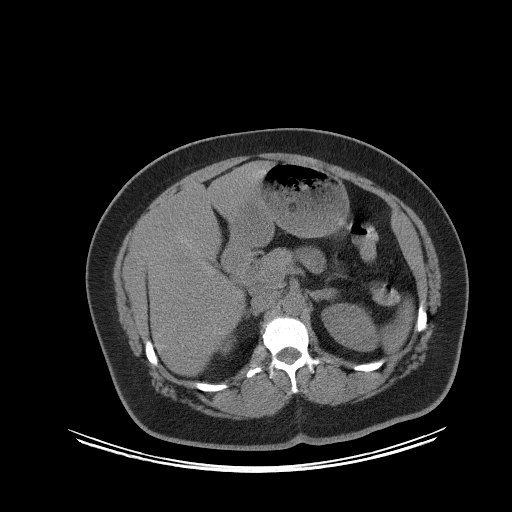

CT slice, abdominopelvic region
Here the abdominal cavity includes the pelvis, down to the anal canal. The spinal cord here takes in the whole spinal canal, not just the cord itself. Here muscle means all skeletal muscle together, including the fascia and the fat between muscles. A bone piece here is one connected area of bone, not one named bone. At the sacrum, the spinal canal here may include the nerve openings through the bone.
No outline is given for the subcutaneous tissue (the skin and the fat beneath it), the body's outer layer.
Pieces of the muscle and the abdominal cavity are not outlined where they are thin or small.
Outlined structures:
muscle: 266 152; 284 152; 285 153; 300 154; 317 158; 328 163; 338 165; 373 181; 386 191; 390 192; 398 197; 405 204; 409 206; 421 219; 425 225; 437 255; 439 269; 441 274; 441 283; 439 290; 441 295; 440 297; 441 304; 437 308; 436 312; 431 316; 435 326; 427 343; 428 348; 426 351; 426 357; 424 362; 416 369; 412 370; 410 373; 404 377; 398 379; 391 386; 383 391; 357 402; 350 401; 334 406; 328 404; 318 404; 309 401; 299 395; 294 395; 287 404; 271 416; 264 416; 259 418; 248 418; 241 420; 236 420; 223 417; 215 417; 195 410; 184 403; 178 401; 174 401; 169 397; 164 396; 155 390; 154 387; 151 384; 151 376; 148 373; 148 368; 141 361; 139 357; 135 356; 133 354; 128 343; 128 338; 126 333; 123 330; 121 324; 118 320; 118 312; 116 308; 116 302; 115 301; 114 282; 112 277; 113 266; 119 248; 127 232; 134 225; 148 205; 167 187; 184 176; 212 163; 231 157; 249 155; 256 153; 265 153 with holes at 252 158; 323 169; 390 207; 427 321; 379 368; 354 370; 356 362; 322 349; 311 330; 309 353; 331 362; 312 373; 300 367; 296 393; 283 370; 270 378; 261 338; 221 382; 228 386; 214 392; 147 359; 144 263; 154 213; 180 188 and at 254 366; 260 366; 261 367; 262 367; 262 370; 261 371; 260 371; 259 372; 258 372; 257 373; 256 373; 254 375; 253 375; 251 377; 247 377; 246 376; 246 373; 247 372; 247 371; 250 368; 251 368; 252 367; 253 367
abdominal cavity: 252 158; 314 166; 387 203; 390 225; 415 279; 419 300; 414 331; 403 349; 357 363; 322 349; 299 318; 276 315; 263 323; 249 361; 221 382; 180 379; 159 362; 149 337; 144 269; 146 237; 154 213; 180 188; 204 182
torso: 287 127; 325 130; 367 142; 411 169; 441 202; 462 244; 469 281; 467 316; 453 382; 439 404; 424 415; 347 441; 240 451; 195 447; 156 438; 138 426; 122 404; 93 326; 85 290; 85 264; 93 232; 122 186; 164 153; 212 136
bones 1: 276 316; 299 319; 307 329; 309 353; 313 357; 331 360; 314 365; 312 373; 306 365; 300 367; 295 374; 298 389; 296 393; 291 392; 290 378; 283 370; 275 369; 274 376; 269 376; 268 364; 271 353; 263 345; 262 334; 264 323; inner edge: 288 347; 291 347; 292 348; 294 348; 295 349; 296 349; 299 352; 299 356; 293 362; 292 362; 291 363; 287 363; 284 361; 282 361; 281 360; 280 360; 277 357; 277 355; 280 351; 281 351; 283 349; 284 349; 285 348; 287 348
bones 2: 195 381; 198 381; 199 382; 205 382; 206 383; 210 383; 211 384; 224 383; 228 385; 228 386; 226 388; 219 390; 218 391; 215 391; 214 392; 208 392; 207 391; 206 392; 205 391; 202 391; 194 387; 192 385; 192 383
bones 3: 420 301; 423 301; 424 308; 427 313; 427 321; 426 322; 426 327; 425 329; 419 332; 415 330; 415 326; 416 325; 416 322; 417 321; 417 317; 418 316; 418 308; 419 307; 419 303
bones 4: 382 358; 384 358; 385 359; 385 361; 383 363; 383 364; 377 369; 375 369; 374 370; 366 372; 365 371; 362 371; 361 370; 354 370; 352 368; 352 367; 354 365; 356 365; 357 364; 361 364; 362 363; 367 363; 368 362; 375 361
bones 5: 147 339; 149 339; 150 340; 150 341; 152 344; 152 346; 153 347; 153 349; 155 352; 155 354; 157 357; 157 359; 158 360; 158 365; 157 365; 156 366; 153 365; 147 359; 147 358; 146 357; 146 355; 145 354; 145 341
bones 6: 254 366; 260 366; 261 367; 262 367; 262 370; 261 371; 260 371; 259 372; 258 372; 257 373; 256 373; 254 375; 253 375; 251 377; 247 377; 246 376; 246 373; 247 372; 247 371; 250 368; 251 368; 252 367; 253 367
spinal cord: 288 347; 291 347; 292 348; 294 348; 295 349; 296 349; 299 352; 299 356; 293 362; 292 362; 291 363; 287 363; 284 361; 282 361; 281 360; 280 360; 277 357; 277 355; 280 351; 281 351; 283 349; 284 349; 285 348; 287 348